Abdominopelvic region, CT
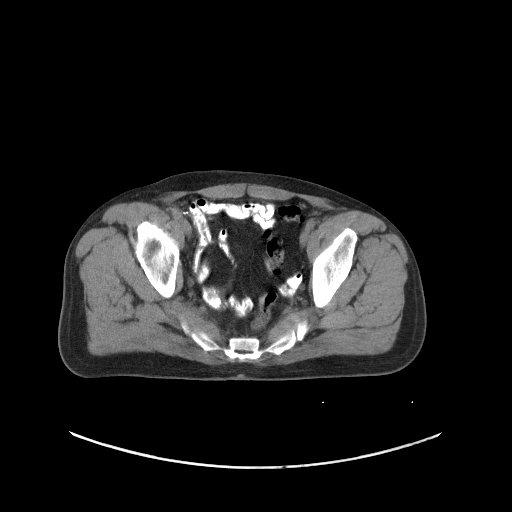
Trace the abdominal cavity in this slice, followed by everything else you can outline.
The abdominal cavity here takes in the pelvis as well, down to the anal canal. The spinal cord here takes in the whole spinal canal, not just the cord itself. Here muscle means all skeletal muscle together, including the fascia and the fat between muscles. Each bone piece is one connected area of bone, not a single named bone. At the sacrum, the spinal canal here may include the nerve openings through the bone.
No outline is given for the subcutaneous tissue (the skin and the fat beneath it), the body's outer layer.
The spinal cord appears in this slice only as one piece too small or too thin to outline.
The abdominal cavity is outlined by [[245,193],[268,200],[298,197],[314,208],[331,212],[323,217],[307,240],[306,253],[311,266],[309,299],[302,305],[288,306],[258,337],[228,337],[205,305],[186,298],[181,291],[180,255],[185,236],[180,222],[168,210],[186,195],[223,199],[241,197]]. The muscle is outlined by [[242,182],[268,185],[297,193],[328,198],[335,202],[347,206],[351,209],[360,210],[376,216],[381,219],[400,238],[407,252],[409,260],[409,265],[407,270],[407,280],[405,283],[405,288],[404,289],[405,301],[402,312],[403,313],[402,314],[402,318],[396,336],[396,340],[391,349],[386,352],[374,355],[334,354],[333,355],[327,355],[326,356],[305,359],[287,364],[270,365],[269,366],[259,366],[253,363],[249,363],[248,362],[236,362],[235,363],[227,362],[223,364],[211,365],[210,364],[198,362],[194,360],[189,360],[179,356],[173,356],[160,352],[147,352],[146,351],[141,351],[140,352],[138,351],[121,352],[120,353],[112,353],[107,355],[94,355],[91,354],[87,350],[86,347],[88,333],[87,332],[87,323],[86,322],[85,309],[83,303],[83,284],[79,277],[79,265],[75,257],[75,248],[81,237],[102,217],[107,208],[114,204],[120,202],[131,202],[132,201],[147,200],[157,197],[168,191],[194,190],[195,189],[201,189],[205,187],[218,185],[219,184],[241,183]] with a hole at [[245,193],[268,200],[298,197],[331,212],[309,234],[311,266],[344,228],[358,239],[352,266],[325,306],[315,306],[310,277],[309,299],[288,306],[258,336],[265,346],[306,320],[303,339],[278,355],[241,361],[222,350],[206,351],[184,333],[184,321],[220,345],[229,338],[205,305],[182,293],[183,263],[173,294],[163,297],[133,244],[137,225],[147,220],[169,232],[181,252],[185,236],[170,205],[192,194],[223,199]]. The bones appear in 3 outlined pieces: piece 1: [[144,220],[147,220],[152,223],[154,223],[163,230],[169,232],[178,242],[180,250],[180,254],[179,255],[180,261],[177,266],[175,289],[173,294],[168,298],[163,297],[153,287],[148,280],[134,253],[133,244],[136,241],[136,228],[137,225]]; piece 2: [[346,227],[349,227],[354,230],[356,232],[358,237],[354,250],[353,258],[352,259],[352,266],[346,278],[336,290],[329,302],[325,306],[321,308],[318,308],[315,306],[312,297],[311,272],[312,271],[312,263],[313,260],[314,258],[324,249],[344,228]]; piece 3: [[303,320],[307,321],[309,329],[303,339],[291,348],[278,355],[264,352],[258,358],[245,358],[242,361],[230,358],[222,350],[204,350],[184,333],[181,327],[181,321],[184,321],[191,330],[208,334],[220,345],[225,345],[231,337],[256,337],[265,346]]. The torso is outlined by [[200,169],[250,170],[301,178],[356,198],[386,216],[409,242],[421,274],[427,327],[424,343],[416,358],[403,369],[385,375],[281,381],[135,376],[85,378],[72,373],[62,362],[58,351],[57,327],[64,258],[73,236],[85,219],[112,197],[173,174]].